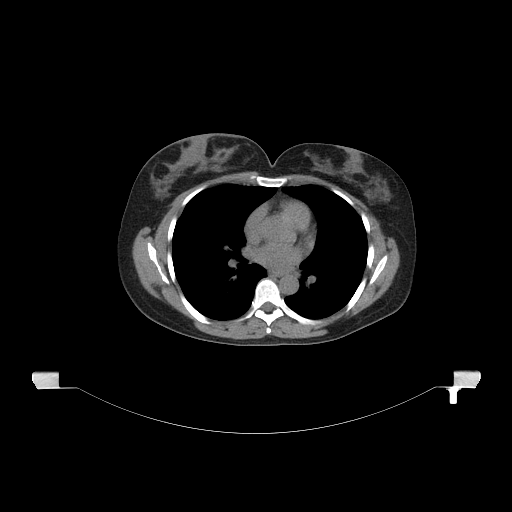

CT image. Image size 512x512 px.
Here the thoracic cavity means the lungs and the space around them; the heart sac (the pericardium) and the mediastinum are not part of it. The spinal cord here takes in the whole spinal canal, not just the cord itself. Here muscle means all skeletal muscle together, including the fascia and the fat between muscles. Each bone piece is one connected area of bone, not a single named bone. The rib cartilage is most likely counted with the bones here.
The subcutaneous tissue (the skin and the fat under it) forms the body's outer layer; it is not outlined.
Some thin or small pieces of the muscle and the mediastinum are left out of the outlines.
The mediastinum appears in 3 outlined pieces: piece 1: (299, 265) (300, 277) (299, 278) (299, 287) (297, 291) (291, 295) (287, 295) (284, 297) (282, 297) (280, 293) (280, 290) (278, 285) (272, 279) (268, 277) (266, 277) (267, 275) (267, 271) (265, 268) (268, 270) (273, 270) (278, 272) (285, 272) (286, 271) (295, 270); piece 2: (279, 187) (281, 187) (281, 189) (283, 192) (284, 192) (286, 194) (288, 194) (289, 195) (278, 195) (275, 197) (273, 197) (272, 198) (271, 198) (270, 199) (269, 199) (268, 200) (267, 200) (268, 199) (269, 199) (276, 192) (276, 191) (277, 190) (277, 188) (278, 188); piece 3: (246, 254) (247, 255) (247, 256) (248, 257) (249, 258) (250, 259) (251, 260) (252, 261) (253, 262) (254, 262) (255, 262) (254, 262) (253, 262) (252, 262) (251, 263) (250, 263) (250, 262) (249, 261) (249, 260) (248, 259) (247, 258) (246, 257) (246, 256) (246, 255). The torso is outlined by (209, 132) (244, 135) (258, 143) (271, 162) (293, 145) (325, 142) (365, 151) (392, 167) (410, 193) (416, 228) (416, 263) (405, 303) (393, 314) (344, 337) (308, 345) (237, 346) (203, 341) (174, 332) (142, 314) (123, 288) (116, 255) (131, 186) (156, 151) (178, 139). The spinal cord is outlined by (266, 302) (270, 302) (274, 306) (274, 308) (270, 312) (266, 312) (265, 311) (264, 311) (261, 308) (261, 307) (262, 306) (262, 305) (264, 303) (265, 303). The pericardium is outlined by (278, 196) (289, 196) (297, 198) (307, 204) (313, 214) (316, 225) (315, 241) (310, 253) (299, 263) (295, 269) (285, 271) (278, 271) (273, 269) (268, 269) (263, 265) (253, 261) (246, 253) (246, 238) (244, 233) (244, 225) (251, 212) (258, 206) (263, 204) (264, 202). The muscle is outlined by (244, 171) (259, 173) (247, 177) (250, 184) (226, 182) (207, 188) (202, 184) (181, 201) (181, 213) (178, 217) (172, 216) (166, 233) (166, 240) (171, 242) (171, 251) (166, 252) (169, 278) (162, 270) (156, 248) (149, 241) (146, 243) (148, 257) (161, 279) (167, 285) (177, 282) (181, 290) (180, 301) (194, 319) (209, 325) (212, 323) (210, 319) (240, 322) (254, 316) (265, 322) (268, 335) (272, 331) (272, 322) (283, 316) (302, 325) (317, 325) (322, 322) (320, 319) (344, 307) (348, 312) (367, 283) (371, 285) (384, 269) (388, 260) (388, 255) (384, 254) (370, 277) (363, 276) (366, 267) (372, 267) (375, 253) (374, 245) (368, 244) (367, 239) (370, 222) (363, 211) (359, 214) (356, 211) (354, 202) (346, 194) (335, 187) (330, 190) (314, 183) (286, 185) (291, 177) (282, 175) (288, 174) (313, 175) (340, 187) (363, 202) (378, 220) (382, 232) (395, 240) (400, 263) (382, 296) (356, 314) (331, 325) (323, 335) (234, 339) (199, 330) (189, 318) (150, 294) (139, 280) (132, 257) (133, 241) (139, 230) (145, 226) (156, 228) (172, 201) (182, 192) (207, 180). The thoracic cavity appears in 2 outlined pieces: piece 1: (226, 183) (274, 187) (276, 190) (250, 212) (243, 225) (245, 257) (250, 264) (256, 263) (263, 267) (266, 275) (256, 283) (250, 306) (245, 313) (233, 319) (220, 320) (207, 317) (195, 308) (184, 295) (174, 269) (172, 239) (178, 218) (187, 203) (205, 189); piece 2: (305, 184) (321, 186) (347, 202) (359, 215) (367, 240) (365, 268) (354, 292) (343, 307) (328, 316) (318, 319) (299, 314) (293, 310) (284, 299) (287, 296) (295, 294) (300, 287) (300, 263) (312, 252) (318, 227) (316, 217) (308, 204) (286, 193) (283, 191) (282, 187). The bones appear in 10 outlined pieces: piece 1: (263, 278) (268, 278) (277, 285) (281, 297) (293, 311) (305, 318) (319, 319) (321, 322) (313, 325) (302, 324) (287, 315) (283, 315) (271, 322) (269, 326) (271, 331) (268, 334) (266, 322) (259, 317) (252, 315) (244, 320) (237, 321) (236, 319) (250, 308) (256, 285); inner edge: (266, 302) (270, 302) (274, 306) (274, 308) (270, 312) (266, 312) (265, 311) (264, 311) (261, 308) (261, 307) (262, 306) (262, 305) (264, 303) (265, 303); piece 2: (384, 255) (387, 255) (387, 260) (383, 269) (377, 276) (375, 280) (371, 284) (369, 284) (367, 282) (366, 283) (362, 292) (360, 294) (358, 299) (354, 305) (346, 312) (345, 311) (345, 306) (355, 292) (362, 278) (365, 276) (368, 280) (371, 277) (377, 263); piece 3: (148, 242) (149, 242) (155, 248) (156, 251) (156, 258) (161, 268) (161, 270) (169, 279) (170, 278) (170, 275) (167, 266) (167, 252) (170, 250) (176, 282) (170, 281) (169, 283) (167, 284) (162, 279) (157, 269) (157, 267) (149, 257) (148, 250) (147, 249) (147, 243); piece 4: (250, 175) (261, 175) (266, 177) (281, 177) (282, 176) (287, 176) (288, 177) (290, 177) (290, 179) (285, 185) (283, 185) (282, 186) (279, 186) (278, 187) (275, 187) (274, 186) (263, 186) (258, 184) (251, 184) (248, 180) (248, 177); piece 5: (182, 292) (183, 295) (190, 303) (190, 304) (200, 313) (201, 313) (207, 318) (208, 318) (209, 320) (211, 321) (211, 323) (209, 324) (202, 323) (195, 318) (194, 318) (191, 315) (191, 314) (186, 309) (183, 303) (181, 301) (181, 299) (180, 298) (180, 293); piece 6: (202, 185) (205, 185) (206, 186) (206, 188) (205, 188) (203, 190) (200, 191) (198, 193) (197, 193) (195, 195) (194, 195) (186, 203) (186, 204) (183, 207) (181, 205) (181, 203) (182, 202) (182, 201) (185, 198) (185, 197) (191, 192) (192, 192) (195, 189) (200, 187); piece 7: (369, 244) (372, 244) (373, 245) (373, 246) (374, 247) (374, 253) (373, 254) (373, 259) (372, 260) (372, 263) (371, 264) (371, 267) (370, 268) (367, 268) (367, 267) (366, 266) (366, 262) (367, 261) (367, 254) (368, 253) (368, 245); piece 8: (175, 215) (177, 217) (177, 220) (175, 223) (175, 226) (173, 230) (173, 234) (172, 235) (172, 238) (171, 239) (171, 241) (168, 241) (167, 240) (167, 233) (168, 232) (168, 228) (169, 227) (169, 225) (170, 224) (171, 219) (173, 217) (173, 216); piece 9: (332, 188) (335, 188) (339, 191) (342, 192) (345, 195) (346, 195) (353, 202) (353, 203) (354, 204) (354, 207) (353, 207) (347, 201) (346, 201) (342, 197) (341, 197) (339, 195) (338, 195) (334, 192) (333, 192) (331, 190) (331, 189); piece 10: (362, 212) (363, 212) (366, 215) (366, 216) (368, 219) (368, 221) (369, 222) (369, 227) (370, 228) (370, 231) (369, 232) (369, 233) (367, 233) (366, 232) (366, 230) (365, 229) (365, 227) (363, 224) (363, 222) (362, 221) (362, 219) (360, 216) (360, 214).